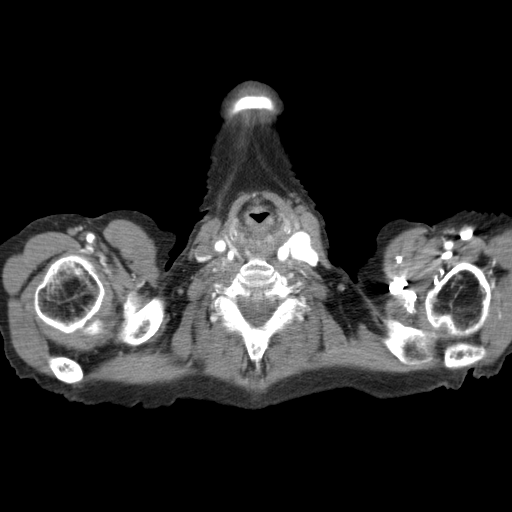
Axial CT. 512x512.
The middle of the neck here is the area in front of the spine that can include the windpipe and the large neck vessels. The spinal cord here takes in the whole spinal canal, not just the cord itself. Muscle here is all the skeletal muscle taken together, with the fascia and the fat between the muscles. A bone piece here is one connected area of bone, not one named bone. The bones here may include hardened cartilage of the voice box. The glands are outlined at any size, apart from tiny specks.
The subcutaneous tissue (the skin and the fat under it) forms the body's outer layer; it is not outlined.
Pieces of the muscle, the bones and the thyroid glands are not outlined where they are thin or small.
Outlined structures:
left arm: 463,208 474,209 480,211 492,211 493,212 502,211 511,214 511,354 508,355 505,360 494,357 482,347 452,327 443,317 426,288 420,275 419,269 403,222 402,218 405,218 412,221 424,222 430,225
right arm: 55,213 78,213 89,217 94,217 103,213 105,253 103,259 97,299 61,347 45,360 31,378 30,379 19,378 16,375 14,369 10,366 10,364 5,356 3,349 3,338 0,334 0,243 19,231 32,220
spinal cord: 263,304 268,304 269,305 274,306 274,308 271,313 271,315 269,317 269,318 262,325 260,326 253,326 251,324 250,324 245,319 245,318 243,316 242,314 242,312 241,311 241,306 254,306 255,307 257,307
torso 1: 116,209 141,211 160,228 176,234 165,264 168,269 171,266 163,317 170,362 176,380 210,403 178,400 168,408 151,411 139,405 129,409 105,403 85,405 69,402 31,379 62,347 98,299 106,253 104,213
torso 2: 396,218 402,219 419,275 442,317 503,360 500,371 487,379 476,379 469,371 456,390 438,387 398,399 379,400 349,389 301,398 325,380 338,361 346,326 346,292 333,263 354,281 358,267 375,247 379,230
muscle: 247,128 266,165 311,208 327,261 353,286 365,290 378,283 384,247 410,227 437,233 463,223 511,228 511,342 496,361 466,367 486,350 458,340 443,349 443,366 457,370 318,368 261,391 219,378 71,387 61,382 84,378 76,360 50,356 57,379 24,362 8,326 6,259 31,235 102,228 126,218 153,238 159,264 172,271 216,214 217,193; inner edges: 250,200 272,204 290,234 306,232 317,256 316,265 269,260 290,285 299,282 290,294 303,296 310,309 271,338 258,368 241,338 210,320 214,283 229,285 241,266 214,245 230,232 233,219 238,227 240,210, then 64,254 76,254 82,256 91,262 95,268 103,284 105,293 101,305 93,317 99,318 104,322 108,330 106,333 91,336 84,334 80,329 71,333 65,333 48,325 37,316 34,309 35,289 48,264 54,259, then 460,261 466,261 479,267 483,271 489,282 489,286 491,288 489,314 482,327 478,331 467,337 450,336 447,334 446,331 442,327 438,329 434,329 427,319 424,306 424,300 428,290 432,288 456,263, then 132,291 135,291 138,294 140,298 139,302 141,306 148,302 154,296 158,296 162,300 165,307 165,314 163,320 156,332 146,341 138,345 130,345 124,343 117,336 117,333 121,327 123,304 126,300 127,295, then 384,319 394,319 407,326 412,326 429,332 434,331 437,335 437,337 433,340 429,348 429,355 431,358 426,362 419,363 418,364 406,364 401,362 382,342 382,339 387,336 387,327 383,322 383,320
middle of the neck: 250,200 272,204 284,233 301,230 306,232 310,247 317,256 316,265 298,258 272,258 268,262 261,257 249,257 240,265 216,252 214,245 219,239 223,239 237,259 244,261 230,241 239,234 238,216 244,204
bones 1: 249,258 264,259 286,276 290,285 299,282 295,287 298,291 290,294 303,296 310,308 302,321 295,319 271,338 258,368 250,360 241,338 226,331 219,320 214,323 210,320 214,311 211,307 214,283 229,285 with a hole at 263,304 268,304 269,305 274,306 274,308 271,313 271,315 269,317 269,318 262,325 260,326 253,326 251,324 250,324 245,319 245,318 243,316 242,314 242,312 241,311 241,306 254,306 255,307 257,307
bones 2: 64,254 76,254 82,256 91,262 95,268 103,284 105,293 101,305 93,317 99,318 104,322 108,330 106,333 91,336 84,334 80,329 71,333 65,333 48,325 37,316 34,309 35,289 48,264 54,259
bones 3: 460,261 466,261 479,267 483,271 489,282 489,286 491,288 489,314 482,327 478,331 467,337 450,336 447,334 446,331 442,327 438,329 434,329 427,319 424,306 424,300 428,290 432,288 456,263
bones 4: 132,291 135,291 138,294 140,298 139,302 141,306 148,302 154,296 158,296 162,300 165,307 165,314 163,320 156,332 146,341 138,345 130,345 124,343 117,336 117,333 121,327 123,304 126,300 127,295
bones 5: 384,319 394,319 407,326 412,326 429,332 434,331 437,335 437,337 433,340 429,348 429,355 431,358 426,362 419,363 418,364 406,364 401,362 382,342 382,339 387,336 387,327 383,322 383,320
bones 6: 458,341 465,341 470,344 472,344 476,346 482,346 485,350 485,355 484,357 479,361 474,363 470,366 466,366 465,367 462,367 461,368 458,368 457,369 448,369 446,368 444,366 444,349 447,346 451,345
bones 7: 56,356 65,356 68,358 70,358 76,361 80,365 83,372 83,378 82,380 79,382 73,383 72,384 67,384 59,380 54,375 54,374 50,369 49,365 48,364 48,360 49,358 50,357 55,357
bones 8: 244,95 265,95 269,97 272,100 274,104 274,109 273,111 268,111 263,109 262,110 260,110 259,109 250,109 249,110 246,110 245,111 239,112 236,114 231,114 230,113 230,109 232,107 233,103 238,98
thyroid glands: 224,234 228,234 228,236 227,237 228,238 228,240 229,242 233,246 233,247 238,252 240,253 243,259 243,261 240,259 238,259 238,258 236,256 234,252 229,246 226,240 224,239 223,237
head and neck: 245,80 270,85 285,103 278,127 293,169 324,219 329,259 345,292 345,326 330,373 299,399 261,411 212,404 180,383 173,371 164,320 172,264 194,223 204,214 198,208 206,191 204,182 218,105 232,87